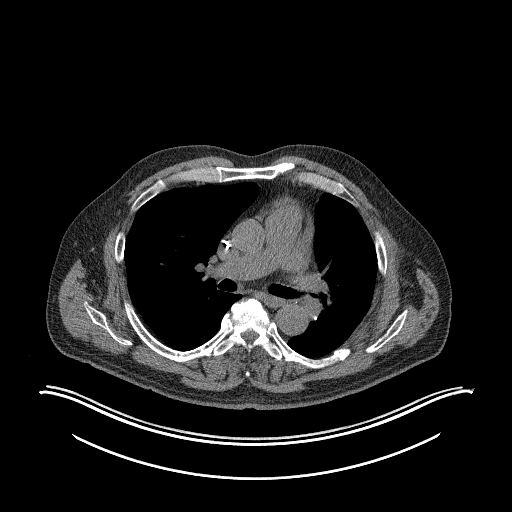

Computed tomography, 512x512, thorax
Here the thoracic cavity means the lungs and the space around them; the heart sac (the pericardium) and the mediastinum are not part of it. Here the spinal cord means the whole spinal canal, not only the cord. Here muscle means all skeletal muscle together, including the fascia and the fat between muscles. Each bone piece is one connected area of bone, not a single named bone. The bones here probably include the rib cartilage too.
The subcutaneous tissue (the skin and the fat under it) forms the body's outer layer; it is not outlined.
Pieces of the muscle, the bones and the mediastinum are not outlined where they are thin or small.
Outlined structures:
mediastinum: [[276,178],[290,178],[324,191],[313,210],[312,250],[327,291],[317,291],[322,309],[301,334],[287,340],[259,300],[242,298],[240,293],[232,291],[234,285],[222,289],[215,278],[206,274],[207,259],[216,253],[224,234],[259,193],[252,181],[221,183]] with a hole at [[284,192],[288,192],[301,200],[311,215],[311,262],[301,273],[296,273],[293,275],[267,275],[259,277],[255,280],[248,280],[242,276],[241,270],[237,263],[228,262],[222,259],[219,253],[222,240],[241,222],[247,218],[259,214],[270,199],[277,193]]
thoracic cavity 1: [[244,181],[256,184],[258,193],[223,234],[215,253],[206,259],[205,273],[215,279],[222,290],[234,286],[231,291],[241,298],[222,316],[218,330],[209,339],[187,350],[172,348],[150,332],[130,298],[124,251],[134,216],[149,200],[181,183],[229,185]]
thoracic cavity 2: [[325,192],[345,200],[357,209],[373,240],[377,274],[370,306],[359,325],[342,347],[336,348],[328,355],[313,358],[296,351],[287,341],[301,335],[310,321],[323,309],[319,305],[318,291],[328,291],[328,284],[318,270],[313,250],[314,210],[320,196]]
spinal cord: [[248,330],[252,330],[253,331],[254,331],[257,334],[257,337],[255,339],[254,339],[251,342],[248,342],[247,341],[246,341],[242,337],[242,336],[241,335],[241,334],[242,333],[243,333],[244,332],[245,332],[246,331],[247,331]]
pericardium: [[284,192],[288,192],[301,200],[311,215],[311,262],[301,273],[296,273],[293,275],[267,275],[259,277],[255,280],[248,280],[242,276],[241,270],[237,263],[228,262],[222,259],[219,253],[222,240],[241,222],[247,218],[259,214],[270,199],[277,193]]
bones 1: [[248,298],[261,303],[279,334],[301,355],[318,359],[338,348],[350,349],[343,360],[316,369],[277,360],[261,346],[248,352],[236,344],[216,356],[183,362],[169,359],[138,336],[123,304],[124,299],[129,301],[163,344],[187,351],[209,340],[231,306]] with a hole at [[248,330],[252,330],[253,331],[254,331],[257,334],[257,337],[255,339],[254,339],[251,342],[248,342],[247,341],[246,341],[242,337],[242,336],[241,335],[241,334],[242,333],[243,333],[244,332],[245,332],[246,331],[247,331]]
bones 2: [[283,161],[293,162],[294,172],[313,172],[340,182],[353,196],[356,206],[311,184],[293,181],[286,175],[273,179],[254,178],[220,183],[171,181],[166,189],[135,212],[130,211],[134,201],[146,188],[158,179],[165,179],[182,170],[208,166],[266,166]]
bones 3: [[406,308],[407,309],[407,313],[406,314],[406,317],[405,318],[404,323],[401,329],[394,336],[393,336],[387,342],[386,342],[377,350],[370,353],[366,352],[365,351],[365,349],[368,346],[371,345],[381,336],[382,336],[388,329],[395,318],[404,309]]
bones 4: [[84,301],[86,301],[90,305],[99,311],[102,312],[105,315],[107,323],[112,331],[116,335],[131,341],[132,342],[132,345],[130,345],[129,346],[128,345],[120,344],[116,341],[106,330],[97,324],[95,324],[92,321],[87,311],[85,309]]
bones 5: [[377,229],[378,229],[381,233],[381,235],[383,238],[383,241],[385,245],[385,248],[386,249],[386,255],[387,256],[387,267],[386,268],[386,272],[384,276],[383,276],[378,271],[377,254],[375,249],[375,245],[374,244],[374,235],[373,234],[373,232]]
bones 6: [[119,231],[123,231],[125,234],[125,244],[124,245],[124,250],[123,251],[123,262],[121,262],[120,263],[118,263],[116,261],[116,260],[115,259],[115,256],[114,255],[114,249],[115,248],[115,240],[116,239],[116,236],[117,235],[117,234]]
torso: [[189,144],[215,145],[248,155],[288,144],[315,144],[343,151],[367,166],[429,232],[442,254],[452,290],[450,326],[442,350],[434,358],[357,393],[277,410],[225,409],[175,400],[60,352],[49,337],[45,308],[52,267],[66,229],[138,160],[164,148]]
muscle: [[210,155],[226,158],[238,166],[198,166],[158,178],[131,204],[129,211],[135,213],[126,234],[119,230],[115,236],[113,255],[118,264],[124,264],[130,299],[123,299],[123,308],[129,324],[151,350],[169,360],[183,363],[203,356],[220,356],[235,345],[248,353],[261,347],[277,361],[283,359],[314,370],[343,361],[351,353],[349,347],[343,346],[371,306],[378,272],[383,277],[387,272],[388,256],[384,238],[377,228],[372,232],[373,239],[356,207],[354,196],[340,181],[313,171],[294,171],[296,164],[289,160],[268,164],[285,155],[304,157],[326,165],[344,175],[365,194],[401,250],[399,274],[402,279],[399,283],[402,299],[415,303],[422,295],[416,278],[417,268],[430,274],[440,305],[425,335],[409,347],[380,356],[364,370],[313,380],[306,384],[308,387],[305,389],[285,393],[266,391],[247,381],[221,391],[189,387],[175,373],[114,356],[73,337],[62,322],[58,292],[74,262],[81,260],[86,270],[88,289],[96,295],[98,290],[104,292],[106,276],[103,246],[126,206],[128,193],[161,169]] with holes at [[406,308],[407,309],[407,313],[406,314],[406,317],[405,318],[404,323],[401,329],[394,336],[393,336],[387,342],[386,342],[377,350],[370,353],[366,352],[365,351],[365,349],[368,346],[371,345],[381,336],[382,336],[388,329],[395,318],[404,309]] and at [[84,301],[86,301],[90,305],[99,311],[102,312],[105,315],[107,323],[112,331],[116,335],[131,341],[132,342],[132,345],[130,345],[129,346],[128,345],[120,344],[116,341],[106,330],[97,324],[95,324],[92,321],[87,311],[85,309]]